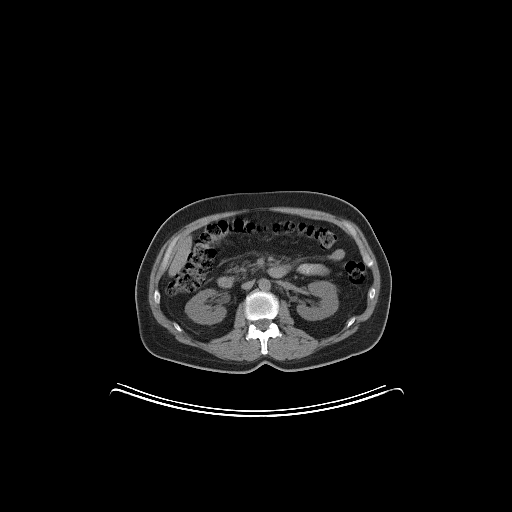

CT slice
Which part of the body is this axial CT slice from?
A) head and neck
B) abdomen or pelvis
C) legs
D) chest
Answer: B) abdomen or pelvis
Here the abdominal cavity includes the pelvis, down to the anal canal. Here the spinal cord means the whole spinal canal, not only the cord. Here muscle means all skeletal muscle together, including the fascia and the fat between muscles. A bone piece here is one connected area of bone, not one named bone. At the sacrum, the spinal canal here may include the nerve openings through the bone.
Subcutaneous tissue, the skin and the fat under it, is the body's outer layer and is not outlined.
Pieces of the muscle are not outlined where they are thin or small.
Outlined structures:
spinal cord: 261 319; 267 319; 270 321; 270 322; 269 323; 269 324; 268 325; 268 326; 267 327; 267 328; 264 330; 262 330; 261 329; 260 329; 259 328; 258 328; 255 325; 255 324; 254 323; 254 322; 255 321; 256 321; 257 320; 260 320
torso: 273 190; 308 190; 330 194; 351 203; 366 217; 391 271; 391 300; 380 339; 363 353; 301 371; 283 371; 263 364; 248 373; 222 373; 182 365; 151 354; 142 344; 138 333; 135 283; 142 258; 158 228; 176 210; 206 197; 242 191
muscle: 272 206; 299 207; 300 208; 308 208; 309 209; 320 210; 321 211; 331 213; 334 215; 348 219; 355 223; 360 228; 363 234; 365 236; 368 242; 368 244; 370 246; 370 248; 372 250; 375 256; 375 258; 378 265; 378 268; 380 272; 380 291; 378 296; 378 300; 376 303; 374 310; 370 317; 365 321; 362 322; 360 324; 359 328; 353 334; 350 335; 348 337; 336 343; 331 344; 328 346; 325 346; 307 356; 305 356; 298 359; 292 359; 291 360; 289 360; 288 359; 286 359; 285 360; 277 360; 267 355; 263 355; 259 358; 252 361; 246 361; 245 360; 237 361; 236 360; 221 359; 202 349; 200 349; 194 346; 190 346; 189 345; 184 344; 176 340; 165 328; 161 326; 156 321; 151 312; 151 309; 149 306; 149 303; 148 302; 149 276; 150 275; 151 269; 155 260; 155 258; 162 245; 173 233; 177 231; 184 225; 198 218; 200 218; 207 215; 214 214; 215 213; 224 212; 225 211; 232 211; 233 210; 243 209; 244 208; 271 207 with holes at 256 211; 330 222; 350 236; 346 224; 353 227; 373 261; 375 295; 349 327; 317 338; 294 325; 280 299; 274 321; 281 336; 268 338; 266 354; 258 338; 246 339; 243 301; 223 335; 204 341; 175 328; 154 291; 180 242; 212 221 and at 175 238; 176 238; 176 241; 171 250; 171 253; 170 254; 169 259; 168 260; 166 265; 164 267; 164 268; 161 268; 161 264; 162 263; 162 260; 163 259; 163 257; 166 252; 166 250; 167 249; 168 246; 172 241; 172 240
bones 1: 254 290; 261 290; 270 292; 274 294; 279 301; 279 307; 274 321; 277 324; 278 328; 281 332; 281 336; 268 338; 267 353; 266 354; 261 353; 261 343; 258 338; 246 339; 248 325; 250 322; 247 319; 244 312; 244 300; 245 297; inner edge: 261 319; 267 319; 270 321; 270 322; 269 323; 269 324; 268 325; 268 326; 267 327; 267 328; 264 330; 262 330; 261 329; 260 329; 259 328; 258 328; 255 325; 255 324; 254 323; 254 322; 255 321; 256 321; 257 320; 260 320
bones 2: 347 223; 350 224; 353 227; 353 228; 356 232; 356 235; 357 237; 361 242; 361 246; 362 247; 362 249; 373 261; 373 264; 370 267; 366 265; 362 257; 362 255; 360 252; 360 248; 356 243; 356 241; 351 234; 346 224
bones 3: 175 238; 176 238; 176 241; 171 250; 171 253; 170 254; 169 259; 168 260; 166 265; 164 267; 164 268; 161 268; 161 264; 162 263; 162 260; 163 259; 163 257; 166 252; 166 250; 167 249; 168 246; 172 241; 172 240
bones 4: 156 289; 158 289; 158 290; 159 291; 159 294; 160 295; 160 301; 159 302; 159 303; 158 304; 157 303; 156 303; 154 301; 154 291
bones 5: 370 287; 373 287; 375 289; 375 295; 374 296; 374 297; 372 299; 370 299; 369 298; 368 298; 368 290; 370 288
bones 6: 353 316; 354 316; 355 317; 355 319; 354 320; 354 321; 353 322; 353 323; 349 327; 347 327; 346 326; 346 324; 347 323; 347 322; 348 321; 348 320; 351 317; 352 317
bones 7: 174 322; 175 322; 176 322; 177 323; 178 324; 179 325; 179 326; 180 327; 181 328; 182 329; 182 330; 181 331; 180 331; 179 331; 178 331; 177 330; 176 329; 175 328; 175 327; 174 326; 174 325; 173 324; 173 323
abdominal cavity: 256 211; 280 212; 330 222; 351 236; 372 278; 363 310; 348 317; 337 332; 320 338; 295 326; 288 304; 274 293; 261 289; 252 290; 239 303; 232 329; 207 341; 194 338; 168 317; 160 304; 159 282; 180 242; 186 235; 212 221